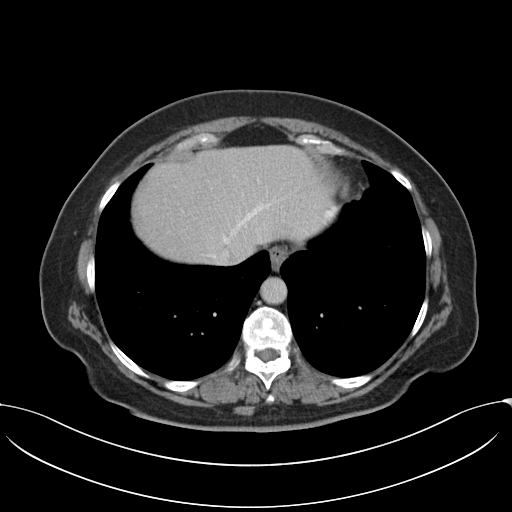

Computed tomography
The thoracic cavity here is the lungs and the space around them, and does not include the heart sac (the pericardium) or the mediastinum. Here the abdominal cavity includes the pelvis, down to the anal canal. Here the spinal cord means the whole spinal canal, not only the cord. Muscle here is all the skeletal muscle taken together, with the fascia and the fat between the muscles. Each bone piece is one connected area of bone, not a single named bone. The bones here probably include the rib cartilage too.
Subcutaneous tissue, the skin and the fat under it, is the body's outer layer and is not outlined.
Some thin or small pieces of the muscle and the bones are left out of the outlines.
The abdominal cavity is outlined by 256 122; 280 129; 298 144; 315 146; 354 184; 354 200; 343 207; 337 222; 310 239; 303 249; 285 242; 274 243; 267 250; 234 265; 180 264; 152 253; 135 236; 129 220; 132 193; 152 165; 150 162; 175 151; 218 142; 226 134. The muscle is outlined by 241 115; 293 117; 294 118; 300 118; 308 121; 317 122; 333 128; 343 133; 359 144; 371 149; 384 159; 399 167; 410 178; 419 192; 423 202; 426 205; 429 211; 429 215; 433 219; 439 230; 441 236; 440 257; 443 260; 446 268; 447 281; 452 303; 452 309; 447 318; 446 323; 434 332; 408 359; 404 361; 395 371; 381 383; 368 392; 358 397; 354 397; 345 401; 321 406; 315 404; 301 404; 300 403; 292 405; 288 405; 283 403; 266 404; 256 408; 254 412; 250 415; 242 415; 233 413; 231 404; 220 404; 211 408; 184 405; 156 394; 127 377; 117 368; 116 365; 103 352; 100 346; 93 339; 86 334; 84 334; 78 329; 74 328; 68 320; 68 307; 70 304; 70 300; 72 299; 79 300; 84 297; 83 290; 81 288; 76 276; 76 262; 80 244; 85 236; 86 229; 90 221; 90 218; 97 200; 104 191; 104 189; 109 180; 142 151; 151 145; 161 141; 169 135; 183 128; 190 125; 213 120; 217 118; 229 116; 240 116, around holes outlined by 256 122; 280 129; 291 140; 313 134; 343 148; 348 158; 365 160; 387 172; 401 172; 411 185; 409 193; 419 223; 430 234; 431 256; 425 258; 424 288; 428 307; 423 322; 412 337; 408 335; 369 372; 372 378; 358 387; 332 383; 333 375; 311 365; 301 352; 298 361; 291 350; 290 367; 278 374; 267 390; 256 374; 244 368; 245 352; 239 342; 236 347; 240 362; 232 370; 225 370; 225 363; 196 378; 196 386; 179 392; 165 387; 163 376; 144 369; 149 375; 146 378; 130 370; 109 344; 112 339; 86 276; 87 262; 95 254; 102 213; 99 204; 105 191; 142 166; 174 152; 175 146; 188 137; 211 133; 221 139 and by 269 393; 270 393; 271 394; 272 394; 273 395; 273 396; 274 397; 274 400; 272 402; 271 402; 270 403; 268 403; 266 401; 266 397; 267 396; 267 395. The spinal cord is outlined by 266 348; 271 348; 272 349; 274 349; 275 350; 278 351; 278 352; 279 353; 278 356; 277 357; 276 357; 274 359; 272 359; 271 360; 269 360; 268 361; 263 361; 255 354; 255 352; 256 351; 260 351; 261 350; 263 350. The bones appear in 12 outlined pieces: piece 1: 261 306; 275 308; 286 316; 293 335; 292 344; 294 346; 297 345; 301 357; 301 362; 298 361; 296 354; 291 350; 289 353; 291 361; 290 367; 286 372; 278 374; 273 379; 268 390; 256 374; 244 368; 245 352; 240 342; 245 318 with a hole at 266 348; 271 348; 272 349; 274 349; 275 350; 278 351; 278 352; 279 353; 278 356; 277 357; 276 357; 274 359; 272 359; 271 360; 269 360; 268 361; 263 361; 255 354; 255 352; 256 351; 260 351; 261 350; 263 350; piece 2: 303 134; 313 134; 322 139; 328 140; 333 144; 343 148; 346 151; 346 154; 345 155; 336 155; 332 153; 327 153; 326 152; 321 151; 318 149; 314 144; 312 144; 311 143; 307 143; 306 144; 298 143; 295 140; 296 138; 298 136; piece 3: 200 133; 211 133; 212 134; 214 134; 219 139; 218 141; 205 143; 204 144; 196 144; 193 147; 190 147; 185 149; 181 149; 180 150; 175 150; 174 148; 179 142; 188 137; 190 137; 193 135; 199 134; piece 4: 110 340; 112 340; 112 341; 129 358; 130 358; 135 363; 136 363; 141 368; 142 368; 143 370; 149 375; 149 377; 148 378; 143 377; 130 370; 126 366; 125 366; 120 361; 120 360; 111 349; 111 347; 109 344; 109 341; piece 5: 368 373; 372 375; 372 378; 364 384; 358 387; 349 387; 348 388; 345 388; 341 386; 338 386; 331 382; 331 379; 334 377; 339 377; 340 378; 348 378; 349 377; 355 377; 356 376; 359 376; 360 375; 363 375; 364 374; 367 374; piece 6: 166 379; 167 379; 168 380; 177 380; 178 381; 185 381; 186 380; 197 380; 198 381; 199 381; 199 382; 196 386; 195 386; 188 390; 179 392; 178 391; 174 391; 173 390; 168 389; 166 387; 165 387; 164 386; 163 383; piece 7: 425 297; 427 297; 428 298; 428 307; 427 308; 427 311; 426 312; 425 317; 423 320; 423 322; 421 326; 417 332; 412 337; 410 337; 409 336; 409 334; 413 327; 413 325; 416 320; 416 318; 418 315; 418 313; 420 310; 420 308; piece 8: 92 254; 93 255; 94 255; 94 269; 95 270; 95 292; 91 292; 91 291; 89 288; 89 286; 88 285; 88 283; 87 282; 87 277; 86 276; 86 266; 87 265; 87 262; 88 261; 88 260; 89 259; 89 258; 90 257; 90 256; piece 9: 116 181; 120 181; 121 183; 119 185; 119 186; 117 188; 117 189; 115 191; 115 192; 113 194; 109 201; 106 204; 102 211; 100 212; 99 211; 99 204; 100 203; 100 201; 101 200; 102 196; 104 194; 105 191; 108 188; 108 187; piece 10: 421 226; 424 226; 424 227; 426 229; 427 229; 428 230; 428 231; 430 234; 430 236; 431 237; 431 256; 430 257; 426 257; 426 254; 425 253; 425 249; 424 248; 424 243; 423 242; 423 237; 422 236; 422 232; 421 231; piece 11: 391 169; 395 169; 396 170; 397 170; 398 171; 399 171; 400 172; 401 172; 407 178; 407 179; 409 181; 409 182; 410 183; 410 184; 411 185; 411 190; 410 190; 409 191; 403 185; 402 185; 389 172; 389 171; piece 12: 236 348; 237 348; 238 349; 238 350; 239 351; 239 353; 240 354; 240 362; 232 370; 231 370; 230 371; 227 371; 226 370; 225 370; 225 367; 226 366; 226 364; 229 361; 229 360; 231 358; 231 357; 232 356; 232 355. The thoracic cavity appears in 2 outlined pieces: piece 1: 363 160; 388 172; 411 196; 420 224; 425 254; 424 297; 407 337; 383 363; 367 373; 340 377; 311 365; 294 341; 288 315; 288 287; 280 268; 292 253; 305 249; 310 240; 335 225; 346 205; 362 197; 370 186; 369 178; 361 163; piece 2: 148 163; 151 165; 131 193; 128 220; 134 236; 152 254; 174 264; 208 266; 234 266; 261 251; 269 255; 270 271; 251 301; 239 342; 230 358; 195 379; 168 379; 144 369; 129 357; 111 338; 96 296; 95 249; 101 214; 120 185. The mediastinum appears in 2 outlined pieces: piece 1: 282 243; 285 243; 292 247; 299 249; 292 252; 283 261; 279 268; 279 273; 287 287; 287 315; 288 318; 283 312; 277 308; 268 305; 258 306; 247 315; 248 310; 260 287; 260 285; 269 275; 271 271; 270 255; 267 249; 271 245; piece 2: 323 153; 332 154; 336 156; 345 156; 348 158; 351 158; 352 159; 360 161; 360 163; 368 178; 368 180; 369 181; 369 186; 364 190; 361 195; 361 197; 358 200; 355 200; 353 196; 353 189; 355 184; 343 172; 338 169; 324 155. The torso is outlined by 230 88; 299 91; 347 104; 392 129; 440 173; 465 213; 476 253; 479 325; 463 362; 418 377; 379 410; 283 431; 209 431; 161 423; 131 414; 90 387; 81 361; 56 344; 41 312; 39 267; 60 209; 100 153; 130 124; 174 100.